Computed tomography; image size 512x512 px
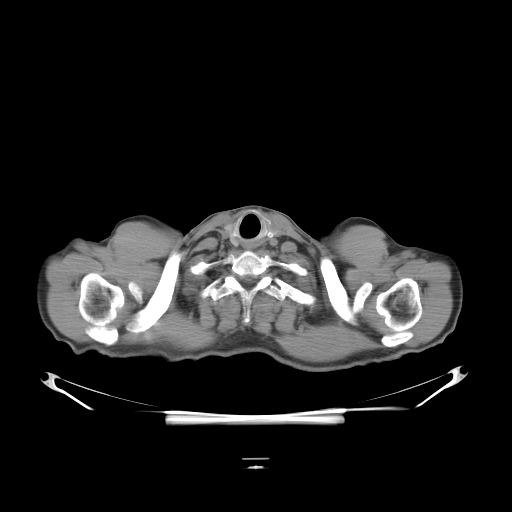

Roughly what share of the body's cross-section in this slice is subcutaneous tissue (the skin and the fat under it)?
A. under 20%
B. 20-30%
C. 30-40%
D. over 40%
Answer: A. under 20%
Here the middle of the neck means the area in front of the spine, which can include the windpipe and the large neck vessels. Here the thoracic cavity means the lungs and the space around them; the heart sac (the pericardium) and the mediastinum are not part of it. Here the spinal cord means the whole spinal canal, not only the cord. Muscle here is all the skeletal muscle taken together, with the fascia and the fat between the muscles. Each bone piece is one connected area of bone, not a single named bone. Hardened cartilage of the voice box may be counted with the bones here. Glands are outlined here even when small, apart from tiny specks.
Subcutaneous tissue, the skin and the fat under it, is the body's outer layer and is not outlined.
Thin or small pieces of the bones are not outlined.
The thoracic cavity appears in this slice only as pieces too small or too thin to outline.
Outlines (x, y in pixels):
spinal cord: 246,275 251,275 254,277 257,277 257,281 256,282 256,283 252,287 251,287 250,288 246,288 245,287 244,287 241,284 241,283 239,280 239,278 240,277 242,277 243,276 245,276
muscle: 251,207 281,214 308,240 320,242 365,224 396,246 445,260 453,307 429,341 403,344 423,313 419,284 410,276 375,297 388,329 380,337 386,348 333,361 299,359 249,328 197,350 113,345 119,331 111,324 125,294 96,271 80,279 77,309 89,324 84,332 97,342 77,342 50,319 46,264 76,240 105,243 119,225 134,220 187,236 218,214; inner edges: 248,209 257,210 270,221 273,230 295,245 292,254 264,248 254,251 261,257 267,254 306,269 306,275 280,266 269,269 314,295 314,304 301,304 287,296 280,300 259,290 249,306 250,321 244,323 244,306 237,292 215,301 210,296 200,297 199,292 230,265 217,265 203,274 192,273 190,267 231,253 237,256 242,250 202,250 198,243 232,224, then 172,251 180,252 181,257 179,262 179,268 176,283 174,286 171,300 167,309 157,320 157,322 146,330 136,333 126,330 125,325 131,319 133,314 139,309 142,308 152,295 160,279 161,274 163,271 164,264, then 322,256 329,257 333,262 339,279 346,290 350,302 352,301 358,288 364,282 370,282 372,285 371,292 365,299 362,310 355,314 355,319 357,323 356,325 353,325 343,320 332,307 320,269 319,260, then 130,281 133,281 134,282 135,282 140,287 140,288 141,289 141,290 142,291 142,302 138,302 135,299 135,298 131,294 131,293 129,291 129,290 128,289 128,283
right arm: 75,235 80,235 92,240 102,239 108,245 124,288 123,316 119,320 107,327 92,348 82,354 75,354 66,343 57,341 53,337 52,334 44,326 40,319 35,297 36,275 41,259 48,252 62,247 71,237
middle of the neck: 250,212 261,216 272,229 266,228 264,235 270,238 277,233 290,240 295,245 295,253 264,248 254,251 202,250 199,247 198,243 206,235 220,229 228,233 230,243 236,247 239,243 235,236 242,218 239,217
bones 1: 244,250 306,269 306,275 280,266 269,269 314,295 315,303 301,304 287,296 280,300 259,290 249,306 250,321 244,323 244,306 237,292 215,301 200,297 199,292 230,265 217,265 203,274 192,273 190,267 with a hole at 246,275 251,275 254,277 257,277 257,281 256,282 256,283 252,287 251,287 250,288 246,288 245,287 244,287 241,284 241,283 239,280 239,278 240,277 242,277 243,276 245,276
bones 2: 90,272 96,272 110,283 119,286 124,294 124,304 121,308 117,310 117,316 110,324 116,327 118,331 118,339 112,345 105,345 100,343 91,338 85,332 86,328 90,324 82,317 78,309 80,282 83,276
bones 3: 404,277 410,277 417,282 420,292 419,293 422,313 418,321 409,329 413,334 411,338 395,347 386,347 382,344 381,337 386,334 389,329 384,322 384,318 376,310 376,297 379,293 385,291 395,282
bones 4: 172,251 180,252 181,257 179,262 179,268 176,283 174,286 171,300 167,309 157,320 157,322 146,330 136,333 126,330 125,325 131,319 133,314 139,309 142,308 152,295 160,279 161,274 163,271 164,264
bones 5: 322,256 329,257 333,262 339,279 346,290 350,302 352,301 358,288 364,282 370,282 372,285 371,292 365,299 362,310 355,314 355,319 357,323 356,325 353,325 343,320 332,307 320,269 319,260
bones 6: 130,281 133,281 134,282 135,282 140,287 140,288 141,289 141,290 142,291 142,302 138,302 135,299 135,298 131,294 131,293 129,291 129,290 128,289 128,283
torso: 246,204 279,210 314,237 346,217 363,216 400,243 387,261 372,303 406,354 391,361 308,372 259,352 164,362 150,357 109,358 91,350 105,330 124,316 125,288 103,239 117,221 150,214 186,232 216,211
left arm: 402,244 404,245 415,245 435,251 444,252 451,255 457,261 459,265 463,281 463,301 461,311 455,329 445,338 442,343 417,353 407,353 406,352 401,346 394,330 387,327 384,324 373,303 374,294 388,261
thyroid glands 1: 233,223 233,228 232,229 232,234 236,238 236,240 238,243 238,244 236,246 235,246 233,244 232,244 231,243 231,242 229,239 229,233 226,230 225,230 225,229 224,228 225,227 226,227 229,224 232,224
thyroid glands 2: 274,229 275,229 276,230 276,231 276,232 276,233 275,234 274,235 273,235 273,234 273,233 272,232 272,231 273,230